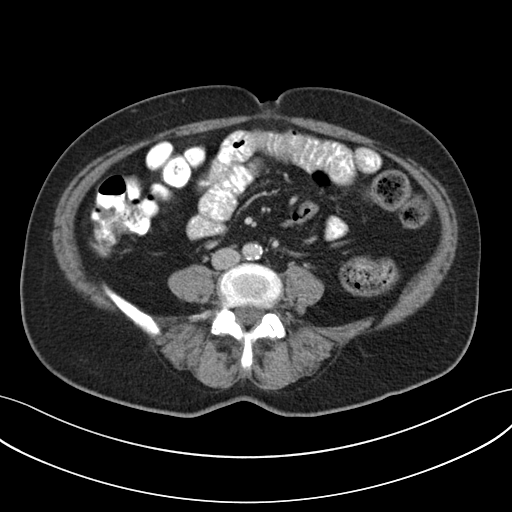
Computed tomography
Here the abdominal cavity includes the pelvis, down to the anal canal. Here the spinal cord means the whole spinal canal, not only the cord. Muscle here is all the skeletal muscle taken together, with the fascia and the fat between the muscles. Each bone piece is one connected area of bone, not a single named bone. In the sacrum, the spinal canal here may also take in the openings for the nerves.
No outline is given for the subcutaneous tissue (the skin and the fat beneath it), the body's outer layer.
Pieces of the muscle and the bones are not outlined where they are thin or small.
Outlines (x, y in pixels):
torso: [[208,84],[243,86],[261,101],[296,86],[355,92],[408,115],[445,146],[471,192],[481,235],[475,328],[450,371],[405,392],[322,415],[288,417],[238,401],[178,417],[90,394],[40,362],[22,323],[20,273],[29,217],[50,169],[76,137],[112,112]]
bones 1: [[242,263],[256,263],[270,268],[277,273],[283,285],[282,292],[271,310],[279,316],[285,328],[285,335],[282,338],[261,337],[254,341],[249,369],[241,366],[243,350],[241,341],[229,334],[215,335],[210,331],[214,311],[221,306],[218,280],[224,272]] with a hole at [[248,305],[249,306],[253,306],[257,308],[261,308],[264,311],[264,313],[262,315],[259,321],[257,323],[253,325],[249,325],[247,326],[246,325],[242,325],[238,321],[236,317],[236,315],[234,312],[234,310],[238,307],[241,307],[242,306],[247,306]]
bones 2: [[104,282],[117,293],[118,293],[121,296],[131,302],[139,309],[149,314],[159,326],[161,330],[160,333],[154,336],[150,335],[142,330],[138,325],[134,323],[134,322],[129,317],[128,317],[123,312],[122,312],[104,293],[104,291],[102,288],[102,284]]
abdominal cavity: [[251,120],[367,145],[407,170],[432,200],[439,242],[382,316],[336,325],[307,320],[325,286],[295,264],[278,273],[242,262],[219,276],[217,289],[209,267],[177,269],[168,288],[199,306],[175,314],[141,307],[84,268],[75,216],[108,169],[151,143]]
muscle: [[260,112],[312,118],[342,126],[387,143],[417,161],[439,181],[450,198],[458,224],[458,241],[453,263],[441,286],[423,307],[407,319],[381,330],[358,335],[315,374],[282,388],[262,389],[245,378],[229,387],[215,388],[205,385],[187,370],[176,369],[160,354],[145,333],[157,336],[162,331],[160,326],[149,313],[129,300],[155,314],[194,312],[200,304],[177,297],[168,286],[168,278],[173,272],[193,264],[209,268],[220,306],[213,311],[209,331],[212,335],[229,335],[241,342],[240,366],[249,370],[253,363],[254,342],[261,338],[282,339],[286,335],[280,316],[272,309],[284,287],[278,274],[289,266],[295,265],[309,271],[324,286],[319,300],[304,314],[307,321],[322,326],[336,326],[369,316],[380,318],[396,303],[408,282],[432,256],[441,237],[440,218],[433,200],[407,169],[379,150],[283,120],[251,119],[146,144],[116,161],[87,190],[73,221],[81,263],[91,276],[106,282],[101,284],[103,293],[133,322],[96,307],[66,279],[52,246],[55,209],[71,180],[106,151],[146,135],[205,119]], around a hole outlined by [[205,310],[208,310],[209,311],[209,313],[208,314],[208,315],[207,316],[207,317],[204,319],[198,319],[197,320],[196,320],[195,319],[189,319],[188,318],[188,316],[189,315],[190,315],[193,313],[197,313],[198,312],[201,312],[202,311],[204,311]]
spinal cord: [[248,305],[249,306],[253,306],[257,308],[261,308],[264,311],[264,313],[262,315],[259,321],[257,323],[253,325],[249,325],[247,326],[246,325],[242,325],[238,321],[236,317],[236,315],[234,312],[234,310],[238,307],[241,307],[242,306],[247,306]]